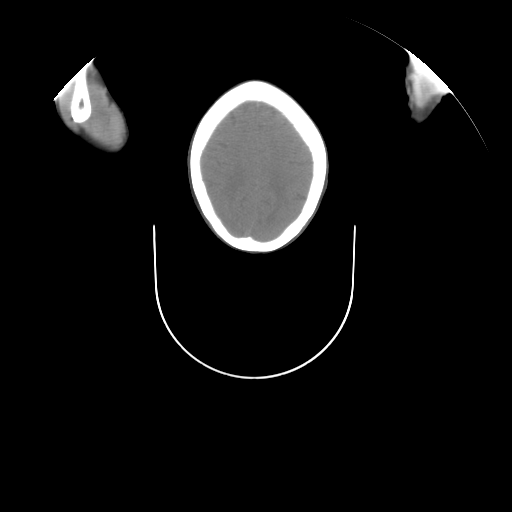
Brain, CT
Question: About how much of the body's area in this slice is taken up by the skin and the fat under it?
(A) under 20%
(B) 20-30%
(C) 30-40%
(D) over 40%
Answer: (A) under 20%
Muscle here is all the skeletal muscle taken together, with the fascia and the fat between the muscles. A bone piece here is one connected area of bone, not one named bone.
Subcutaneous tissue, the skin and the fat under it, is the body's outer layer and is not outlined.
{"right_arm":[[[92,59],[98,65],[105,79],[107,87],[116,101],[122,107],[127,120],[129,128],[129,141],[125,149],[121,153],[117,155],[106,155],[100,153],[92,149],[74,137],[64,127],[58,118],[55,110],[55,106],[53,103],[55,97],[65,84],[83,66]]],"bones":[{"outer":[[251,79],[263,80],[281,88],[302,106],[317,126],[322,136],[327,156],[327,168],[324,186],[314,213],[296,236],[281,247],[271,251],[248,251],[239,249],[228,244],[218,236],[199,207],[190,178],[190,147],[200,118],[210,105],[226,90],[243,81]],"hole":[[245,102],[262,102],[277,110],[291,124],[301,138],[307,147],[311,158],[311,177],[305,199],[298,214],[276,236],[266,240],[259,240],[250,235],[237,236],[228,230],[214,208],[206,184],[203,179],[201,168],[201,158],[203,151],[217,126],[230,112]]},[[86,64],[86,69],[87,70],[86,72],[86,81],[87,82],[87,87],[88,88],[89,99],[91,104],[91,114],[89,118],[84,122],[82,123],[76,123],[73,121],[73,119],[70,113],[70,100],[72,98],[73,88],[75,84],[75,76],[74,75]]],"left_arm":[[[410,52],[424,62],[448,87],[448,89],[441,99],[440,103],[431,115],[423,123],[418,125],[414,123],[414,122],[410,119],[409,111],[407,107],[407,96],[405,93],[405,87],[404,86],[404,82],[405,81],[404,78],[405,70],[409,62],[409,54]]],"muscle":[[[90,60],[93,61],[92,66],[107,96],[116,106],[122,118],[125,136],[117,147],[104,146],[84,132],[73,129],[65,121],[59,109],[58,93],[74,76],[74,84],[69,100],[70,116],[76,124],[82,124],[90,118],[92,104],[87,81],[87,63]],[[417,57],[424,62],[445,83],[443,86],[443,90],[440,96],[437,99],[434,100],[423,112],[419,114],[417,114],[414,111],[411,104],[411,91],[410,90],[410,82],[408,79],[408,74],[410,71],[410,68],[411,67],[410,66],[412,64],[413,61]]],"brain":[[[245,102],[262,102],[277,110],[291,124],[301,138],[307,147],[311,158],[311,177],[305,199],[298,214],[276,236],[266,240],[259,240],[250,235],[237,236],[228,230],[214,208],[206,184],[203,179],[201,168],[201,158],[203,151],[217,126],[230,112]]],"head":[[[249,77],[258,77],[270,80],[293,96],[319,128],[325,140],[329,155],[328,189],[319,210],[307,229],[297,240],[281,251],[256,255],[236,251],[224,245],[211,233],[192,203],[186,174],[186,151],[190,136],[196,124],[210,104],[222,91],[235,82]]]}